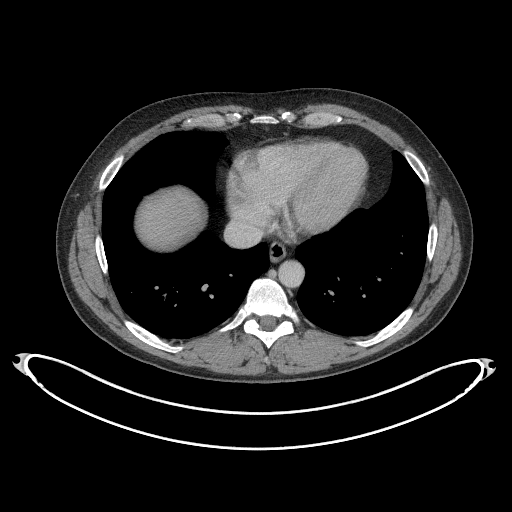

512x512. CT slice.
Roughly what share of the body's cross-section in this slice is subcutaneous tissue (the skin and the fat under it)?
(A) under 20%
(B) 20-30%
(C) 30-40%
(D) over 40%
(A) under 20%
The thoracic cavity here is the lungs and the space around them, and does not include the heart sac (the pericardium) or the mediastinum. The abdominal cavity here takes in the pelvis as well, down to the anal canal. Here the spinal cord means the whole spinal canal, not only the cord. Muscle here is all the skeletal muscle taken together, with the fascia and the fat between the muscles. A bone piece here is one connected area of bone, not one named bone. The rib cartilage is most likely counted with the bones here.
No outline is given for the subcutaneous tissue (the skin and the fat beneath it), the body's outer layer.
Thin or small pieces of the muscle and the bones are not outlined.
{"torso":[[[245,383],[309,380],[378,361],[429,333],[447,315],[461,292],[473,251],[473,224],[467,200],[431,140],[393,105],[367,94],[330,87],[176,95],[144,105],[117,122],[69,185],[58,213],[55,253],[62,287],[81,321],[115,349],[139,361],[186,376]]],"muscle":[{"outer":[[237,375],[264,374],[272,371],[273,369],[283,374],[303,373],[326,369],[340,363],[356,360],[373,354],[404,337],[413,330],[425,319],[454,282],[459,270],[462,252],[459,231],[456,220],[452,213],[451,206],[447,198],[438,189],[435,178],[431,171],[431,168],[425,163],[414,148],[390,127],[354,109],[331,103],[307,104],[300,108],[295,109],[277,107],[269,111],[257,109],[255,110],[247,106],[235,104],[203,106],[188,109],[177,113],[132,137],[116,150],[114,154],[95,176],[88,192],[88,199],[79,211],[77,216],[76,227],[73,231],[71,238],[67,259],[69,275],[73,286],[79,297],[110,329],[121,338],[139,349],[160,358],[179,364],[192,366],[201,370]],"holes":[[[173,353],[183,346],[172,345],[162,337],[188,338],[218,326],[217,332],[224,332],[241,324],[246,333],[257,336],[269,348],[300,323],[292,303],[310,321],[331,332],[343,336],[375,332],[354,342],[363,347],[399,330],[413,311],[409,303],[425,261],[432,259],[437,239],[436,224],[428,222],[423,187],[430,182],[419,158],[408,149],[401,153],[394,150],[365,128],[343,124],[340,115],[308,113],[301,117],[304,126],[300,127],[291,123],[297,116],[289,110],[279,115],[284,123],[272,115],[260,114],[228,130],[170,131],[152,139],[126,162],[123,154],[116,156],[106,166],[98,186],[104,192],[101,233],[95,236],[98,261],[132,319],[123,320],[128,329],[142,341]],[[206,128],[216,128],[217,127],[226,126],[228,123],[238,122],[242,118],[242,115],[238,112],[225,113],[224,114],[220,114],[219,113],[208,113],[207,114],[198,115],[195,117],[190,117],[189,118],[187,118],[182,122],[182,126],[183,127],[201,126]]]}],"mediastinum":[[[291,303],[305,277],[297,246],[226,216],[226,173],[234,158],[282,135],[352,142],[370,158],[360,204],[365,209],[389,186],[393,148],[353,124],[247,122],[206,131],[229,141],[216,163],[214,231],[236,249],[265,242],[270,266],[260,276],[277,281]]],"spinal_cord":[[[264,330],[272,330],[275,327],[275,326],[277,324],[277,319],[275,317],[274,317],[273,316],[271,316],[270,315],[265,315],[264,316],[262,316],[261,317],[260,317],[259,318],[259,323],[260,324],[260,325],[261,326],[261,328],[262,329],[263,329]]],"pericardium":[[[296,245],[317,234],[328,231],[347,215],[359,208],[360,201],[364,195],[367,185],[370,164],[366,152],[357,145],[324,136],[282,136],[264,139],[249,146],[239,153],[230,166],[227,173],[226,183],[226,209],[229,220],[236,220],[258,227],[285,243]]],"bones":[{"outer":[[267,348],[269,348],[280,336],[292,333],[294,331],[294,325],[299,324],[301,319],[288,301],[287,296],[281,286],[270,278],[259,277],[252,282],[244,302],[234,316],[221,326],[217,330],[217,332],[231,330],[241,324],[246,333],[251,333],[257,336]],"hole":[[264,330],[272,330],[275,327],[275,326],[277,324],[277,319],[275,317],[274,317],[273,316],[271,316],[270,315],[265,315],[264,316],[262,316],[261,317],[260,317],[259,318],[259,323],[260,324],[260,325],[261,326],[261,328],[262,329],[263,329]]},[[206,128],[216,128],[217,127],[226,126],[228,123],[238,122],[242,118],[242,115],[238,112],[225,113],[224,114],[220,114],[219,113],[208,113],[207,114],[198,115],[195,117],[190,117],[189,118],[187,118],[182,122],[182,126],[183,127],[201,126]],[[363,347],[366,347],[367,346],[370,346],[373,344],[375,344],[387,338],[399,330],[410,317],[413,311],[413,307],[412,306],[408,306],[403,311],[402,311],[395,319],[385,327],[378,331],[374,335],[370,336],[363,340],[355,341],[354,342],[355,344]],[[173,353],[180,351],[183,348],[183,346],[182,345],[172,345],[167,341],[146,330],[132,320],[129,320],[128,319],[124,319],[123,320],[125,325],[128,328],[128,329],[135,336],[139,338],[142,341],[156,348],[162,349]],[[306,127],[318,127],[319,126],[323,126],[324,125],[328,125],[329,124],[337,124],[338,123],[342,123],[342,120],[343,118],[340,115],[333,114],[330,112],[325,112],[324,111],[312,112],[302,116],[300,119],[300,121],[303,124],[303,125]],[[99,191],[103,191],[106,188],[106,187],[109,184],[109,183],[111,181],[117,171],[123,164],[124,162],[124,156],[123,154],[119,154],[117,156],[116,156],[106,166],[105,169],[102,173],[102,175],[99,181],[99,185],[98,186],[98,190]],[[424,185],[429,185],[430,182],[429,181],[428,174],[423,164],[421,162],[419,158],[413,152],[412,152],[408,149],[404,149],[402,151],[402,154],[405,157],[405,158],[407,160],[407,161],[409,163],[411,167],[414,170],[414,171],[419,177],[419,178]],[[428,261],[431,261],[432,259],[432,257],[433,256],[433,253],[435,249],[436,240],[437,239],[437,227],[436,226],[436,224],[434,222],[432,222],[430,223],[429,225],[429,230],[428,231],[428,239],[427,240],[427,252],[426,253],[426,260]],[[105,275],[107,275],[108,274],[107,261],[106,260],[105,254],[104,253],[104,249],[103,248],[103,243],[102,242],[101,235],[100,234],[96,234],[95,236],[95,250],[96,251],[96,254],[98,258],[99,264],[101,267],[101,269],[103,273]],[[266,124],[275,124],[276,123],[278,123],[280,121],[277,118],[275,118],[274,117],[274,116],[273,116],[272,115],[269,115],[268,114],[260,114],[259,115],[255,115],[251,118],[250,118],[250,119],[249,120],[249,122],[250,122],[251,123],[265,123]],[[288,123],[291,123],[297,119],[297,116],[293,112],[292,112],[289,110],[287,110],[286,111],[284,111],[283,112],[282,112],[279,115],[279,117],[280,117],[283,120],[284,120],[286,122],[287,122]]],"abdominal_cavity":[[[158,253],[169,253],[178,250],[192,241],[202,231],[205,230],[208,226],[209,223],[209,212],[207,204],[193,190],[181,184],[174,184],[170,186],[159,188],[150,194],[144,196],[136,207],[133,218],[133,229],[134,233],[137,239],[144,247],[149,250]]],"thoracic_cavity":[{"outer":[[174,338],[201,335],[221,325],[243,302],[251,282],[269,266],[265,243],[236,250],[215,235],[212,225],[215,163],[228,141],[221,134],[195,129],[162,133],[148,142],[124,163],[105,190],[102,202],[101,234],[110,281],[122,308],[151,332],[160,337]],"hole":[[158,253],[169,253],[178,250],[192,241],[202,231],[205,230],[208,226],[209,223],[209,212],[207,204],[193,190],[181,184],[174,184],[170,186],[159,188],[150,194],[144,196],[136,207],[133,218],[133,229],[134,233],[137,239],[144,247],[149,250]]},[[343,336],[365,336],[389,323],[409,305],[422,275],[429,224],[424,188],[404,157],[396,150],[392,153],[391,183],[381,199],[368,209],[354,211],[328,232],[307,240],[295,250],[295,256],[306,269],[306,277],[296,298],[297,306],[303,315],[316,325]]]}